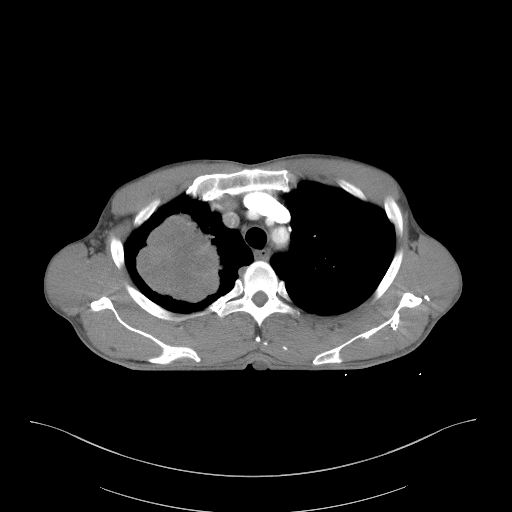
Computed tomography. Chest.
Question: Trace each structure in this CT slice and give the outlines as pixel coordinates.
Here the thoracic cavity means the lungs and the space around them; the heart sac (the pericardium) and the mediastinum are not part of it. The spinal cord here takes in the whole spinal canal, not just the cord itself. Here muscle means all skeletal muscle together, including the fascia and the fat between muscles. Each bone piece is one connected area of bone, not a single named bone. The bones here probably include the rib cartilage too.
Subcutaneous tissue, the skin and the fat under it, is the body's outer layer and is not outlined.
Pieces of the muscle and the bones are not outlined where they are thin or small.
Answer: The thoracic cavity appears in 2 outlined pieces: piece 1: 301,179 339,187 364,202 369,202 382,208 394,229 394,253 384,274 365,300 345,312 318,314 297,306 294,304 285,282 279,278 270,264 270,260 275,254 286,254 290,249 292,215 287,205 287,197 297,187; piece 2: 183,193 194,200 207,203 212,212 219,214 221,222 226,228 237,230 253,259 245,266 243,272 235,279 233,286 227,292 202,309 186,313 167,309 139,290 126,267 124,254 124,243 132,231 142,225 160,206. The mediastinum is outlined by 256,190 289,193 286,197 286,205 291,215 289,249 286,253 275,253 270,258 269,263 262,259 253,261 253,254 245,244 240,232 235,228 226,227 220,214 212,211 208,204 220,200 225,193 229,196 237,196. The bones appear in 9 outlined pieces: piece 1: 258,260 265,261 272,267 284,282 293,304 300,310 298,316 274,312 260,326 245,311 232,312 223,317 210,312 180,321 162,319 137,304 125,288 127,283 163,308 176,314 186,314 202,310 227,293 246,266 with a hole at 258,291 261,291 262,292 263,292 266,295 266,296 267,297 267,299 266,300 266,301 262,305 260,305 259,306 258,305 257,305 252,300 252,297; piece 2: 244,168 260,168 266,170 286,169 296,174 300,179 296,187 289,192 264,189 256,189 249,193 244,192 237,195 229,195 225,192 222,194 220,199 209,202 194,199 184,192 193,180 200,175 212,173 231,173; piece 3: 102,296 106,296 111,300 119,316 132,327 146,332 166,344 190,347 200,357 200,361 197,362 191,358 182,357 166,364 149,362 148,358 161,353 161,347 150,338 126,328 117,320 110,309 93,311 90,303; piece 4: 404,292 411,292 420,297 422,301 416,306 404,306 399,310 399,321 396,329 387,324 367,338 361,337 355,339 340,350 339,355 342,361 339,363 318,365 312,363 317,354 334,348 352,337 386,321 393,314; piece 5: 398,249 402,249 403,250 402,261 400,264 399,269 392,282 383,293 383,294 379,298 374,300 373,299 373,295 372,294 382,279 383,276 385,274 387,269 391,263 391,261 393,258 393,256 395,252; piece 6: 386,196 391,196 395,200 395,201 399,206 399,208 402,215 402,220 403,221 403,229 402,230 402,233 400,236 397,236 396,235 394,226 388,219 386,215 386,213 383,208 383,203 384,202 384,199; piece 7: 112,235 114,235 115,236 118,237 120,239 120,240 123,244 123,254 124,255 124,263 125,264 125,267 124,267 121,269 118,268 116,266 116,265 112,258 112,256 111,255 111,252 110,251 110,238; piece 8: 156,198 159,198 160,199 160,201 161,202 161,204 156,209 156,210 142,224 141,224 138,227 137,227 136,228 134,228 133,227 133,221 134,220 134,218 135,217 136,214 143,207 144,207 152,200 153,200; piece 9: 338,179 343,179 353,184 355,186 359,188 366,196 367,198 367,201 364,201 352,195 350,193 347,192 345,190 344,190 342,188 338,186 337,184 337,180. The muscle is outlined by 304,157 348,160 386,174 407,211 409,237 427,237 454,264 456,294 403,349 357,363 319,365 341,363 344,347 387,325 396,330 400,310 423,301 411,291 402,293 383,322 317,353 311,361 317,366 276,365 254,356 226,366 147,366 99,350 80,322 51,301 47,276 52,262 77,243 95,252 104,249 111,202 124,186 186,163 257,167 with holes at 244,168 286,169 300,179 335,187 337,180 343,179 381,208 385,197 391,196 403,221 394,251 402,249 403,256 383,294 375,300 371,294 336,314 300,307 298,316 274,312 260,326 245,311 223,317 210,312 174,321 154,316 137,304 125,288 126,283 136,286 127,268 118,268 112,258 111,236 123,244 143,207 156,198 162,205 169,202 196,177 and at 102,296 106,296 111,300 119,316 132,327 146,332 166,344 190,347 200,357 200,361 197,362 191,358 182,357 166,364 149,362 148,358 161,353 161,347 150,338 126,328 117,320 110,309 93,311 90,303. The torso is outlined by 305,152 347,156 387,170 403,188 421,228 455,258 462,274 461,295 411,352 347,371 258,371 250,364 241,371 134,371 92,352 70,323 46,302 43,276 50,258 95,226 108,198 122,183 179,160 255,163. The spinal cord is outlined by 258,291 261,291 262,292 263,292 266,295 266,296 267,297 267,299 266,300 266,301 262,305 260,305 259,306 258,305 257,305 252,300 252,297.